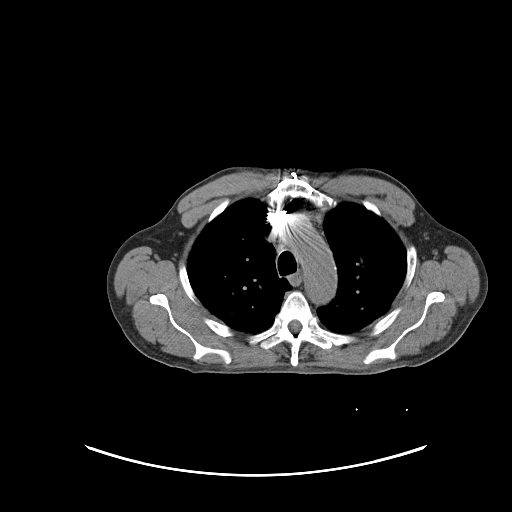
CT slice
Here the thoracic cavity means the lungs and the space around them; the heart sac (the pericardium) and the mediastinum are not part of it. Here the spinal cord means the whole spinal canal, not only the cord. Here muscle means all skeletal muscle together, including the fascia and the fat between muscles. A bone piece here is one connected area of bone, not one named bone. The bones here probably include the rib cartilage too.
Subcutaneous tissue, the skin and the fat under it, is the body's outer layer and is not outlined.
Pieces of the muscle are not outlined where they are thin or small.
Outlines (x, y in pixels):
spinal cord: (293, 320) (296, 320) (297, 321) (298, 321) (300, 323) (300, 324) (301, 325) (301, 328) (300, 329) (300, 330) (298, 332) (297, 332) (296, 333) (293, 333) (289, 329) (289, 328) (288, 327) (288, 324) (291, 321) (292, 321)
torso: (232, 166) (310, 170) (368, 167) (388, 173) (403, 183) (437, 221) (460, 233) (474, 245) (488, 278) (482, 306) (461, 337) (439, 356) (418, 366) (373, 374) (194, 373) (148, 358) (126, 338) (111, 311) (106, 291) (111, 260) (128, 237) (157, 222) (184, 190) (216, 171)
muscle 1: (244, 170) (281, 173) (276, 186) (259, 198) (245, 197) (231, 203) (226, 197) (218, 203) (193, 241) (186, 264) (181, 260) (178, 263) (178, 279) (187, 297) (196, 305) (198, 299) (216, 319) (202, 318) (214, 333) (221, 337) (232, 337) (234, 330) (249, 334) (246, 341) (264, 350) (286, 342) (291, 365) (227, 368) (163, 352) (139, 334) (114, 289) (117, 266) (131, 249) (148, 246) (165, 256) (179, 249) (183, 235) (177, 206) (183, 197) (223, 175) with a hole at (157, 293) (162, 293) (167, 297) (172, 317) (177, 324) (186, 330) (200, 344) (206, 347) (228, 351) (231, 361) (226, 364) (216, 353) (207, 353) (193, 360) (192, 356) (195, 352) (195, 346) (192, 341) (171, 323) (168, 312) (164, 307) (152, 304) (149, 301) (149, 297)
muscle 2: (447, 245) (470, 254) (480, 283) (474, 302) (457, 315) (442, 339) (413, 355) (397, 358) (395, 349) (424, 321) (432, 304) (444, 301) (442, 291) (432, 290) (414, 323) (390, 344) (371, 349) (362, 359) (366, 365) (391, 360) (364, 369) (297, 367) (304, 342) (329, 350) (356, 342) (357, 337) (351, 334) (369, 325) (373, 324) (368, 331) (371, 337) (388, 328) (402, 311) (399, 305) (391, 307) (400, 289) (408, 288) (413, 279) (417, 249) (428, 253)
muscle 3: (341, 174) (360, 174) (381, 178) (403, 190) (413, 200) (418, 212) (416, 220) (406, 231) (412, 242) (409, 242) (405, 247) (398, 234) (382, 216) (377, 205) (368, 199) (364, 198) (360, 203) (353, 201) (338, 201) (332, 196) (314, 187) (309, 182) (307, 176) (337, 176)
bones 1: (295, 290) (303, 294) (322, 327) (334, 333) (353, 335) (356, 337) (356, 341) (333, 345) (329, 349) (323, 349) (304, 341) (298, 350) (296, 366) (290, 362) (290, 344) (286, 341) (268, 349) (262, 348) (258, 343) (250, 344) (247, 337) (268, 329) (273, 324) (286, 296) with a hole at (293, 320) (296, 320) (297, 321) (298, 321) (300, 323) (300, 324) (301, 325) (301, 328) (300, 329) (300, 330) (298, 332) (297, 332) (296, 333) (293, 333) (289, 329) (289, 328) (288, 327) (288, 324) (291, 321) (292, 321)
bones 2: (291, 172) (295, 172) (298, 175) (305, 175) (308, 182) (314, 188) (335, 199) (338, 202) (336, 206) (324, 211) (305, 198) (288, 197) (278, 208) (273, 207) (271, 211) (268, 211) (267, 204) (260, 200) (260, 198) (264, 197) (277, 186) (281, 175) (284, 173) (289, 174)
bones 3: (432, 291) (442, 292) (444, 294) (443, 301) (432, 303) (428, 307) (423, 321) (417, 327) (407, 332) (396, 344) (394, 349) (396, 358) (392, 360) (389, 358) (379, 358) (371, 363) (364, 363) (363, 359) (371, 350) (387, 347) (406, 328) (420, 318) (425, 305) (426, 296)
bones 4: (157, 293) (162, 293) (167, 297) (172, 317) (177, 324) (186, 330) (200, 344) (206, 347) (228, 351) (231, 361) (226, 364) (216, 353) (207, 353) (193, 360) (192, 356) (195, 352) (195, 346) (192, 341) (171, 323) (168, 312) (164, 307) (152, 304) (149, 301) (149, 297)
bones 5: (409, 243) (412, 243) (415, 246) (416, 248) (416, 251) (417, 252) (417, 259) (416, 260) (416, 264) (415, 265) (415, 271) (413, 274) (412, 279) (408, 287) (404, 288) (402, 287) (402, 285) (406, 275) (406, 270) (407, 269) (407, 255) (406, 254) (406, 247)
bones 6: (399, 306) (401, 307) (401, 311) (398, 314) (398, 315) (393, 321) (393, 322) (388, 327) (387, 327) (384, 330) (383, 330) (381, 332) (374, 336) (371, 336) (369, 335) (369, 331) (370, 330) (370, 328) (376, 322) (377, 322) (382, 317) (383, 317) (391, 310)
bones 7: (181, 261) (183, 262) (186, 266) (186, 271) (187, 272) (187, 276) (189, 280) (189, 283) (197, 298) (197, 300) (198, 301) (198, 304) (196, 304) (194, 302) (193, 302) (188, 297) (180, 282) (180, 280) (179, 279) (179, 274) (178, 273) (178, 266) (179, 265) (179, 263)
bones 8: (204, 317) (207, 317) (208, 318) (210, 318) (211, 319) (213, 319) (214, 320) (216, 320) (219, 322) (221, 322) (222, 323) (227, 325) (233, 330) (233, 331) (234, 332) (234, 334) (232, 336) (221, 336) (220, 335) (217, 334) (215, 332) (214, 332) (203, 321) (203, 318)
bones 9: (226, 198) (228, 198) (230, 200) (230, 204) (229, 204) (226, 207) (226, 208) (221, 213) (220, 213) (218, 215) (217, 215) (211, 221) (206, 223) (206, 221) (207, 220) (209, 215) (213, 210) (213, 209) (218, 204) (219, 204) (224, 199) (225, 199)
bones 10: (364, 199) (366, 199) (370, 202) (371, 202) (375, 205) (376, 205) (376, 206) (378, 208) (378, 209) (381, 213) (381, 216) (379, 216) (375, 213) (374, 213) (372, 211) (371, 211) (370, 210) (368, 210) (362, 204) (361, 204) (361, 201)
thoracic cavity 1: (245, 198) (258, 198) (266, 204) (263, 235) (274, 248) (277, 275) (284, 278) (290, 285) (290, 289) (283, 294) (283, 300) (272, 324) (262, 331) (251, 334) (233, 329) (219, 321) (209, 311) (197, 297) (190, 283) (186, 265) (194, 241) (204, 226) (221, 214) (229, 205)
thoracic cavity 2: (339, 202) (360, 204) (368, 211) (382, 217) (399, 237) (405, 248) (406, 255) (405, 275) (389, 311) (374, 323) (350, 334) (334, 332) (322, 326) (315, 314) (319, 307) (326, 306) (332, 301) (338, 289) (336, 263) (324, 231) (323, 221) (328, 211) (335, 208)
mediastinum: (288, 198) (305, 199) (322, 211) (327, 211) (322, 227) (335, 263) (337, 289) (331, 301) (319, 306) (314, 313) (300, 290) (292, 290) (284, 298) (285, 292) (291, 289) (291, 285) (284, 277) (278, 275) (275, 248) (264, 235) (267, 210) (271, 212) (273, 208) (278, 209)